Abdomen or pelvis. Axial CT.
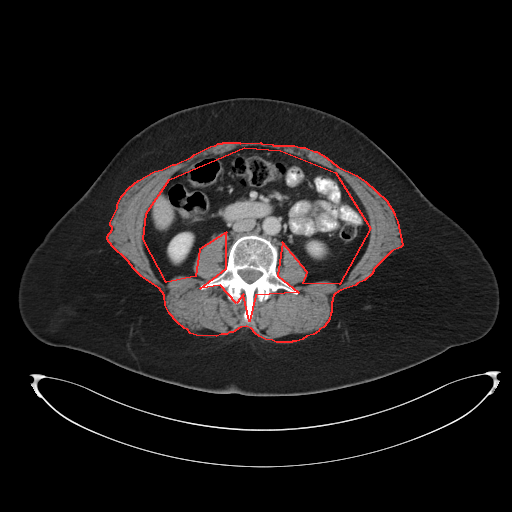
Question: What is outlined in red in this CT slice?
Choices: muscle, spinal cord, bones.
Answer: red: muscle.
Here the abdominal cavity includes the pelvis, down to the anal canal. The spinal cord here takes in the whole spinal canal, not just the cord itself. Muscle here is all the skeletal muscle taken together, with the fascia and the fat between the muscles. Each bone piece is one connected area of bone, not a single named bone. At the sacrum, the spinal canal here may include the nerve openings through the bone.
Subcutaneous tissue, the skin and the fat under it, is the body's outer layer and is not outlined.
{"muscle":[{"outer":[[223,142],[239,142],[240,143],[260,142],[261,143],[272,144],[273,145],[294,145],[300,147],[305,147],[314,151],[316,151],[326,157],[337,166],[356,175],[365,181],[386,200],[394,213],[394,215],[397,221],[402,245],[400,247],[391,251],[373,269],[373,271],[371,274],[364,280],[357,283],[355,285],[340,290],[335,293],[333,295],[332,298],[332,301],[331,302],[331,312],[330,313],[329,319],[327,322],[323,327],[319,329],[318,331],[313,334],[306,336],[302,339],[296,341],[292,341],[291,342],[276,342],[272,340],[265,339],[259,336],[255,333],[251,328],[246,326],[240,327],[232,332],[229,332],[226,334],[221,334],[216,336],[196,335],[190,333],[187,329],[184,328],[177,322],[169,313],[165,305],[164,295],[159,288],[141,276],[134,269],[127,260],[112,246],[107,239],[107,236],[112,229],[112,227],[110,225],[110,222],[117,208],[117,204],[122,195],[129,187],[138,180],[154,171],[162,169],[172,164],[175,164],[192,156],[194,154],[210,146],[215,145],[218,143],[222,143]],"hole":[[244,147],[280,150],[335,172],[370,228],[339,284],[303,283],[307,272],[282,242],[277,275],[298,292],[255,295],[249,321],[243,294],[236,303],[220,285],[200,288],[226,268],[226,232],[199,249],[195,276],[166,282],[143,239],[146,213],[169,179]]}],"abdominal_cavity":[[[244,147],[304,158],[335,172],[353,190],[370,233],[344,281],[303,283],[307,272],[282,242],[277,273],[278,247],[254,233],[231,244],[225,265],[229,237],[223,231],[197,252],[195,276],[179,274],[163,282],[156,275],[143,228],[158,192],[188,165]]],"bones":[{"outer":[[252,234],[268,239],[277,247],[276,273],[298,292],[294,294],[280,288],[264,301],[259,301],[255,295],[252,318],[246,321],[243,294],[241,301],[236,303],[228,299],[226,290],[220,285],[205,289],[200,286],[225,270],[232,244],[238,238]],"hole":[[243,269],[252,269],[253,270],[255,270],[256,271],[259,271],[261,273],[261,275],[258,278],[257,278],[254,281],[253,281],[252,282],[249,283],[248,282],[245,281],[241,277],[241,276],[239,274],[239,271],[240,270],[242,270]]}],"spinal_cord":[[[243,269],[252,269],[253,270],[255,270],[256,271],[259,271],[261,273],[261,275],[258,278],[257,278],[254,281],[253,281],[252,282],[249,283],[248,282],[245,281],[241,277],[241,276],[239,274],[239,271],[240,270],[242,270]]],"torso":[[[236,97],[278,99],[328,112],[357,127],[383,149],[436,206],[469,233],[492,266],[500,305],[490,331],[475,341],[453,346],[372,381],[288,396],[222,394],[186,388],[35,338],[20,317],[17,291],[30,254],[50,227],[117,151],[142,129],[175,111]]]}